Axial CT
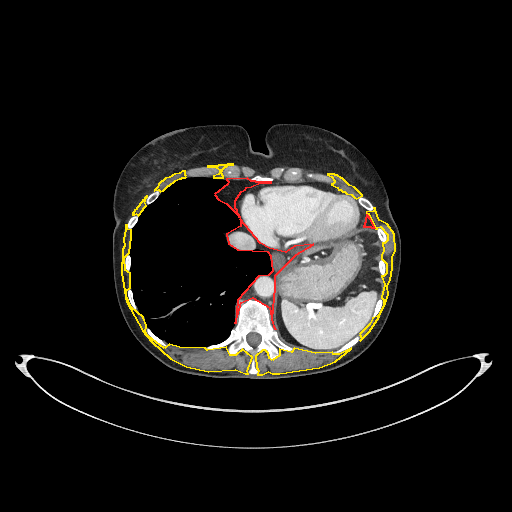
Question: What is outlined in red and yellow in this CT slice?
Answer: red: mediastinum; yellow: muscle.
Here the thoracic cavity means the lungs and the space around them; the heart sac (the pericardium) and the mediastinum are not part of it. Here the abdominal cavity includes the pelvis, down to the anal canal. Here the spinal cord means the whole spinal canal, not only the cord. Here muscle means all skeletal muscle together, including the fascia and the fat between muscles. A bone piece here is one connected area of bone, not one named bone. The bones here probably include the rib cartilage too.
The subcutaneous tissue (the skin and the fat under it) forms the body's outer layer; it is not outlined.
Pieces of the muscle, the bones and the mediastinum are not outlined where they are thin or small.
The mediastinum appears in 3 outlined pieces: piece 1: 275 329; 272 319; 275 287; 275 275; 296 254; 313 244; 294 246; 285 252; 269 248; 260 243; 240 219; 240 226; 226 234; 228 243; 237 249; 267 251; 270 255; 272 271; 268 275; 258 276; 237 300; 235 323; 241 302; 252 297; 269 307; 272 323; piece 2: 239 217; 239 215; 237 213; 237 210; 235 208; 235 200; 241 191; 245 189; 246 187; 251 186; 260 182; 271 182; 256 182; 255 181; 251 181; 247 178; 226 179; 228 181; 227 184; 214 194; 218 199; 226 203; 239 216; piece 3: 375 228; 375 227; 373 225; 373 224; 372 223; 372 222; 371 221; 371 220; 369 218; 369 217; 367 215; 367 213; 366 213; 366 217; 365 218; 365 222; 364 223; 364 225; 363 226; 370 226; 371 227; 374 227. The muscle appears in 7 outlined pieces: piece 1: 245 373; 248 373; 247 371; 252 357; 242 349; 235 355; 230 355; 226 347; 207 350; 205 348; 179 347; 169 344; 164 348; 148 336; 145 332; 146 325; 143 317; 131 307; 126 295; 126 290; 130 287; 130 273; 125 270; 124 257; 129 252; 131 237; 131 230; 127 229; 126 224; 123 239; 124 246; 122 249; 121 273; 126 302; 142 330; 151 341; 170 358; 186 366; 208 371; 235 369; piece 2: 257 374; 262 374; 268 371; 272 373; 279 373; 319 367; 335 361; 351 348; 339 354; 333 354; 332 352; 315 353; 294 348; 291 352; 279 349; 279 355; 272 360; 269 358; 268 353; 265 350; 262 350; 255 356; 256 367; 258 370; piece 3: 360 340; 369 331; 379 316; 385 303; 388 294; 387 286; 390 279; 392 268; 392 257; 395 250; 394 234; 387 224; 379 220; 374 207; 373 211; 366 212; 368 213; 376 229; 377 227; 380 226; 387 234; 387 240; 384 243; 382 243; 383 250; 381 255; 381 258; 386 263; 386 273; 383 276; 381 276; 384 284; 381 297; 383 299; 383 305; 377 316; 372 318; 369 324; 359 334; 361 337; piece 4: 356 198; 362 195; 354 187; 349 185; 342 178; 341 178; 337 175; 335 175; 334 174; 327 174; 331 176; 334 180; 334 182; 332 184; 331 184; 337 187; 338 189; 340 189; 342 191; 344 191; 346 193; 351 194; 354 197; piece 5: 160 191; 163 190; 168 185; 169 185; 175 180; 179 178; 181 178; 182 177; 185 177; 186 176; 185 175; 185 171; 182 171; 179 173; 174 174; 169 177; 165 178; 162 181; 161 181; 158 184; 157 187; 154 190; 158 189; piece 6: 138 215; 143 209; 143 208; 146 205; 144 201; 145 200; 145 198; 147 196; 146 196; 144 198; 144 199; 142 200; 142 201; 139 204; 139 205; 136 208; 136 209; 134 210; 134 211; 132 213; 132 214; 134 214; 135 213; piece 7: 213 177; 223 177; 223 176; 221 173; 221 171; 222 170; 222 169; 225 166; 226 166; 229 164; 233 164; 227 164; 226 165; 218 165; 217 166; 207 166; 216 167; 219 169; 219 170; 220 171; 219 172; 219 173; 218 174; 213 176. The pericardium is outlined by 283 251; 294 245; 317 243; 344 235; 363 225; 365 213; 357 200; 351 195; 346 194; 340 190; 327 185; 307 182; 280 181; 271 183; 260 183; 246 188; 245 190; 242 191; 236 200; 236 208; 238 210; 242 222; 264 245. The torso is outlined by 251 379; 315 374; 350 362; 374 342; 394 301; 401 238; 383 181; 357 147; 319 126; 273 124; 264 139; 266 154; 252 149; 247 131; 238 124; 171 130; 140 147; 123 167; 115 185; 113 281; 120 311; 134 337; 174 370; 216 378. The spinal cord is outlined by 253 346; 256 346; 260 342; 260 340; 261 339; 261 337; 260 336; 260 335; 259 334; 258 334; 255 332; 251 332; 250 333; 247 334; 247 335; 246 336; 246 339; 247 340; 248 343; 249 344; 250 344. The abdominal cavity is outlined by 315 352; 331 352; 360 333; 370 321; 373 314; 373 307; 381 296; 383 287; 378 272; 378 261; 380 259; 382 244; 377 238; 374 228; 361 227; 337 241; 326 241; 314 244; 296 255; 276 275; 273 319; 279 337; 284 343; 292 347. The thoracic cavity is outlined by 189 347; 205 347; 225 339; 235 322; 236 300; 258 275; 271 271; 267 252; 237 250; 227 243; 225 234; 239 226; 239 218; 213 194; 226 184; 225 179; 186 177; 175 181; 144 208; 132 230; 131 288; 138 310; 147 326; 160 338. The bones appear in 10 outlined pieces: piece 1: 250 374; 257 373; 254 356; 262 349; 272 359; 278 355; 279 348; 288 351; 293 349; 278 337; 271 323; 268 307; 252 298; 242 302; 238 322; 229 336; 218 344; 206 347; 211 349; 226 346; 230 354; 244 349; 253 357; 248 371; inner edge: 253 346; 256 346; 260 342; 260 340; 261 339; 261 337; 260 336; 260 335; 259 334; 258 334; 255 332; 251 332; 250 333; 247 334; 247 335; 246 336; 246 339; 247 340; 248 343; 249 344; 250 344; piece 2: 326 183; 333 182; 332 178; 328 175; 310 172; 304 174; 297 167; 286 169; 276 167; 271 169; 266 175; 256 174; 249 167; 235 165; 229 165; 222 171; 226 178; 247 177; 256 181; 271 181; 282 178; 284 180; 294 181; 304 176; piece 3: 187 176; 212 176; 213 175; 214 175; 215 174; 216 174; 217 173; 218 173; 218 172; 219 171; 218 170; 218 169; 217 169; 216 168; 212 168; 211 167; 200 167; 199 168; 191 168; 190 169; 189 169; 186 171; 186 175; piece 4: 333 353; 339 353; 340 352; 342 352; 343 351; 348 349; 350 347; 353 346; 359 340; 360 337; 358 335; 355 336; 353 338; 352 338; 352 339; 351 340; 350 340; 348 342; 347 342; 345 344; 344 344; 336 350; 333 351; piece 5: 368 211; 371 211; 372 210; 373 210; 373 205; 371 203; 371 202; 367 198; 366 198; 365 197; 363 197; 362 196; 359 197; 357 199; 358 200; 358 201; 359 202; 360 205; 363 208; 364 208; 366 210; 367 210; piece 6: 164 347; 166 347; 168 345; 168 344; 166 342; 165 342; 163 340; 160 339; 157 336; 156 336; 150 330; 150 329; 147 327; 146 328; 146 332; 149 335; 149 336; 156 342; 157 342; 159 344; 160 344; 162 346; 163 346; piece 7: 146 204; 149 204; 150 203; 151 203; 153 201; 154 201; 157 198; 157 197; 159 195; 159 194; 160 193; 160 192; 158 190; 156 190; 155 191; 154 191; 153 192; 152 192; 151 193; 150 193; 146 198; 146 200; 145 201; 146 202; piece 8: 128 229; 132 229; 133 228; 133 227; 135 225; 135 224; 137 221; 137 219; 138 218; 138 216; 137 215; 136 215; 135 214; 134 215; 132 215; 131 216; 130 216; 130 217; 128 220; 128 222; 127 223; 127 227; 128 228; piece 9: 135 310; 137 310; 137 307; 136 306; 136 305; 134 302; 134 300; 133 299; 133 295; 132 294; 132 291; 131 290; 131 289; 130 288; 129 288; 127 290; 127 295; 128 296; 128 298; 129 299; 129 301; 130 302; 132 307; piece 10: 372 317; 374 317; 375 316; 376 316; 376 315; 379 312; 379 311; 380 310; 380 309; 381 308; 381 306; 382 305; 382 299; 381 298; 380 298; 377 301; 377 302; 376 303; 376 304; 375 305; 375 306; 374 307; 374 314; 372 316.